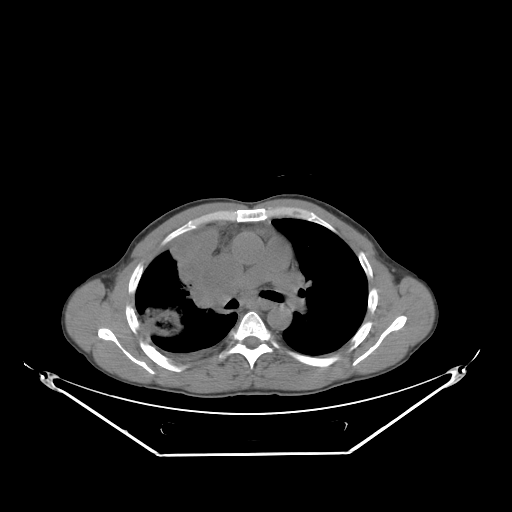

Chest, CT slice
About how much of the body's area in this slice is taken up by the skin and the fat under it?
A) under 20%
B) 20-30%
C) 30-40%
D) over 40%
A) under 20%
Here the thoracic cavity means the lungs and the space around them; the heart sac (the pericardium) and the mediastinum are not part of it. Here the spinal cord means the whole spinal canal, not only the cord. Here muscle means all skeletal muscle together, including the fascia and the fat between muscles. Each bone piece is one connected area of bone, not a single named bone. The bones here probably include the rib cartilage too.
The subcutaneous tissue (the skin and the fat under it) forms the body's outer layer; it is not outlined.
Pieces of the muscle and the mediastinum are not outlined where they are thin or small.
Outlines:
spinal cord: (249, 336) (253, 336) (254, 337) (256, 337) (260, 341) (260, 342) (259, 343) (259, 344) (257, 346) (256, 346) (255, 347) (254, 347) (253, 348) (250, 348) (249, 347) (248, 347) (247, 346) (246, 346) (243, 343) (243, 340) (245, 338) (246, 338) (247, 337) (248, 337)
bones 1: (277, 206) (299, 207) (312, 211) (329, 223) (338, 232) (338, 234) (318, 223) (294, 217) (272, 217) (260, 221) (246, 222) (220, 220) (206, 223) (195, 229) (184, 232) (166, 244) (161, 245) (161, 242) (169, 233) (185, 224) (189, 220) (201, 215) (218, 210) (267, 208)
bones 2: (248, 311) (254, 311) (259, 315) (266, 327) (277, 338) (283, 347) (281, 349) (275, 349) (272, 352) (265, 352) (261, 354) (256, 359) (252, 369) (250, 368) (247, 359) (240, 353) (230, 354) (222, 361) (220, 361) (217, 357) (217, 353) (224, 346) (225, 339) (230, 330) with a hole at (249, 336) (253, 336) (254, 337) (256, 337) (260, 341) (260, 342) (259, 343) (259, 344) (257, 346) (256, 346) (255, 347) (254, 347) (253, 348) (250, 348) (249, 347) (248, 347) (247, 346) (246, 346) (243, 343) (243, 340) (245, 338) (246, 338) (247, 337) (248, 337)
bones 3: (139, 339) (142, 339) (147, 343) (149, 343) (151, 345) (152, 345) (163, 355) (170, 358) (175, 364) (177, 365) (185, 365) (186, 367) (182, 371) (176, 372) (175, 371) (169, 370) (166, 368) (164, 368) (158, 365) (155, 362) (154, 362) (140, 347) (139, 345)
bones 4: (285, 349) (291, 349) (298, 353) (300, 353) (301, 354) (304, 354) (305, 355) (308, 355) (309, 356) (329, 356) (335, 353) (337, 353) (339, 354) (340, 358) (330, 365) (326, 366) (325, 367) (321, 367) (320, 366) (313, 366) (312, 365) (305, 364) (293, 358) (286, 352)
bones 5: (400, 315) (405, 315) (407, 318) (404, 325) (400, 329) (391, 331) (388, 334) (387, 334) (381, 341) (380, 344) (372, 352) (353, 366) (352, 365) (353, 361) (364, 353) (371, 346) (372, 346) (379, 338) (381, 333) (397, 316) (399, 316)
bones 6: (101, 327) (105, 327) (110, 329) (113, 332) (120, 344) (131, 355) (132, 355) (136, 359) (143, 361) (150, 368) (151, 368) (155, 373) (154, 374) (151, 374) (142, 366) (132, 361) (113, 341) (111, 340) (106, 340) (105, 339) (102, 339) (100, 338) (97, 334) (97, 330)
bones 7: (368, 320) (370, 320) (372, 322) (372, 325) (367, 335) (365, 337) (365, 338) (355, 348) (349, 351) (348, 350) (349, 348) (349, 346) (350, 345) (350, 344) (348, 342) (349, 340) (354, 335) (354, 334) (357, 331) (357, 330) (359, 328) (361, 324) (364, 321) (367, 321)
bones 8: (140, 261) (142, 261) (144, 265) (144, 269) (142, 272) (142, 274) (138, 282) (137, 287) (135, 290) (135, 293) (134, 294) (130, 294) (128, 291) (128, 285) (129, 284) (129, 280) (130, 279) (131, 274) (134, 268)
bones 9: (128, 303) (129, 304) (131, 304) (135, 308) (136, 315) (137, 316) (137, 318) (139, 322) (139, 328) (137, 330) (137, 333) (136, 334) (135, 334) (130, 328) (128, 324) (127, 319) (126, 318) (126, 315) (125, 314) (125, 306) (126, 304)
bones 10: (359, 251) (363, 251) (364, 252) (364, 253) (365, 254) (365, 255) (371, 266) (371, 269) (372, 270) (372, 273) (373, 274) (373, 276) (370, 280) (368, 280) (367, 279) (366, 274) (365, 273) (365, 272) (364, 271) (364, 270) (358, 259) (358, 257) (357, 256) (357, 253)
bones 11: (372, 287) (374, 287) (377, 290) (377, 294) (378, 295) (378, 299) (377, 300) (377, 304) (376, 305) (376, 307) (375, 308) (375, 310) (374, 311) (374, 312) (372, 314) (371, 314) (369, 312) (367, 312) (367, 303) (368, 302) (368, 293) (369, 292) (369, 289) (370, 289)
mediastinum: (272, 218) (275, 228) (242, 227) (231, 233) (222, 253) (231, 283) (256, 288) (273, 282) (293, 263) (294, 257) (291, 245) (290, 243) (279, 233) (290, 242) (297, 260) (299, 275) (292, 319) (281, 337) (254, 310) (246, 311) (237, 322) (235, 312) (224, 311) (216, 260) (221, 228) (220, 226) (216, 223) (200, 227) (220, 221)
torso: (282, 193) (308, 195) (338, 208) (365, 227) (390, 257) (429, 284) (439, 307) (438, 324) (407, 362) (383, 375) (316, 394) (197, 398) (112, 379) (92, 367) (67, 342) (61, 331) (60, 314) (68, 294) (90, 275) (114, 264) (151, 221) (178, 205) (200, 198) (255, 201)
thoracic cavity 1: (212, 224) (216, 224) (220, 228) (215, 250) (215, 260) (221, 306) (224, 312) (233, 312) (236, 314) (236, 323) (229, 330) (222, 344) (214, 352) (199, 362) (182, 363) (163, 354) (144, 339) (135, 307) (135, 294) (145, 268) (168, 243) (184, 233) (197, 228) (206, 228)
thoracic cavity 2: (281, 218) (312, 222) (336, 234) (356, 255) (365, 274) (368, 292) (363, 321) (348, 341) (328, 354) (309, 355) (298, 352) (282, 343) (276, 336) (281, 338) (292, 322) (295, 310) (294, 298) (297, 294) (298, 276) (300, 275) (298, 260) (291, 242) (272, 224) (273, 219)
muscle: (275, 199) (304, 200) (325, 209) (372, 243) (377, 256) (397, 283) (408, 275) (427, 288) (435, 312) (432, 326) (394, 364) (313, 389) (251, 387) (202, 393) (122, 378) (102, 368) (69, 335) (65, 323) (66, 308) (80, 287) (96, 278) (110, 287) (116, 274) (131, 260) (135, 246) (173, 215) (205, 203) (231, 202) (249, 208) (218, 209) (189, 219) (162, 239) (160, 245) (165, 247) (145, 267) (140, 260) (133, 268) (127, 291) (134, 295) (134, 306) (126, 303) (124, 314) (135, 335) (140, 328) (143, 339) (138, 339) (139, 347) (158, 366) (176, 373) (187, 366) (174, 361) (199, 363) (223, 343) (216, 353) (220, 362) (230, 355) (240, 354) (251, 370) (261, 355) (281, 350) (284, 347) (282, 344) (289, 348) (284, 350) (290, 357) (305, 365) (325, 368) (338, 361) (341, 358) (339, 353) (326, 355) (337, 351) (347, 342) (347, 350) (352, 351) (366, 338) (373, 325) (370, 319) (364, 320) (366, 312) (371, 315) (375, 312) (379, 299) (378, 290) (374, 286) (368, 287) (368, 281) (374, 276) (372, 266) (363, 250) (356, 254) (338, 235) (339, 232) (312, 210) (291, 205) (253, 207); inner edges: (400, 315) (405, 315) (407, 318) (404, 325) (400, 329) (391, 331) (388, 334) (387, 334) (381, 341) (380, 344) (372, 352) (353, 366) (352, 365) (353, 361) (364, 353) (371, 346) (372, 346) (379, 338) (381, 333) (397, 316) (399, 316), then (101, 327) (105, 327) (110, 329) (113, 332) (120, 344) (131, 355) (132, 355) (136, 359) (143, 361) (150, 368) (151, 368) (155, 373) (154, 374) (151, 374) (142, 366) (132, 361) (113, 341) (111, 340) (106, 340) (105, 339) (102, 339) (100, 338) (97, 334) (97, 330)
pericardium: (242, 228) (276, 229) (278, 233) (289, 243) (292, 252) (293, 261) (292, 263) (288, 266) (287, 269) (273, 281) (268, 281) (262, 283) (256, 287) (248, 287) (247, 286) (238, 286) (235, 285) (232, 283) (230, 280) (230, 278) (227, 273) (223, 249) (228, 237) (234, 232)